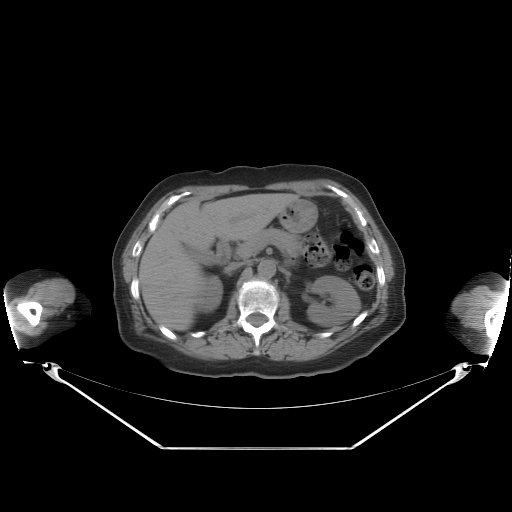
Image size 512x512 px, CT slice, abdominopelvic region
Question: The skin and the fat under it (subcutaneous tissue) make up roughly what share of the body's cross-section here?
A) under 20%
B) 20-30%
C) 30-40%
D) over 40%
Answer: B) 20-30%
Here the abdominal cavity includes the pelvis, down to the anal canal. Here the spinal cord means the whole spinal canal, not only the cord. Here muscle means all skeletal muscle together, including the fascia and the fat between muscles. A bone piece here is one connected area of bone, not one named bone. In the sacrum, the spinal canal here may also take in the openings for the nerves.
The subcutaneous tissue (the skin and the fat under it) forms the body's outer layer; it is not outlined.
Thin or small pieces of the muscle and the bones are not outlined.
{"right_arm":[[[37,267],[55,269],[66,274],[86,292],[91,302],[92,310],[90,318],[87,321],[79,321],[71,329],[58,334],[38,347],[25,349],[21,348],[18,345],[14,330],[15,327],[8,305],[7,287],[4,287],[3,285],[7,280],[14,275],[25,270]]],"bones":[{"outer":[[252,278],[265,280],[275,286],[279,301],[273,317],[277,323],[290,331],[273,328],[264,333],[259,339],[256,349],[258,351],[257,355],[254,354],[256,347],[252,335],[242,328],[230,327],[219,330],[237,320],[240,314],[237,303],[238,289],[244,281]],"hole":[[253,313],[259,313],[260,314],[262,314],[263,315],[264,315],[266,317],[266,318],[267,319],[266,320],[266,321],[265,321],[262,324],[261,324],[259,326],[254,326],[252,324],[251,324],[247,320],[247,317],[249,315],[250,315],[251,314],[252,314]]},[[22,300],[33,300],[34,301],[37,301],[41,304],[42,306],[42,311],[40,315],[40,319],[39,320],[39,322],[37,325],[35,326],[31,326],[28,322],[28,321],[21,314],[19,313],[18,311],[18,309],[16,307],[16,306],[17,304]],[[185,191],[190,191],[191,193],[188,195],[183,196],[177,201],[176,201],[170,207],[166,209],[160,216],[155,229],[152,232],[150,232],[148,230],[148,223],[152,218],[155,212],[161,205],[161,204],[170,196],[172,195],[174,195],[175,194],[179,194]],[[327,184],[332,185],[342,190],[344,192],[345,192],[351,198],[351,199],[361,210],[363,216],[366,219],[366,221],[367,223],[365,226],[363,226],[361,225],[352,207],[340,196],[337,195],[332,190],[327,188],[325,186],[325,185]],[[494,306],[495,306],[495,323],[494,324],[494,329],[493,330],[493,334],[492,335],[492,339],[491,338],[490,338],[488,336],[487,331],[485,329],[485,326],[484,325],[484,315],[485,314],[485,312],[487,310],[490,309],[492,307],[493,307]],[[134,277],[137,277],[137,278],[138,279],[138,289],[139,290],[139,298],[138,299],[135,299],[132,296],[132,295],[131,294],[131,293],[130,292],[130,285],[131,284],[131,282],[132,281],[132,280],[133,279],[133,278]],[[377,265],[380,265],[383,268],[383,271],[384,272],[384,274],[385,275],[385,283],[382,286],[380,286],[378,284],[378,280],[377,279],[377,276],[376,275],[376,266]],[[371,238],[373,238],[376,241],[376,242],[377,243],[377,245],[378,246],[378,247],[379,248],[379,254],[374,254],[372,252],[371,252],[370,251],[370,250],[368,248],[368,247],[367,246],[367,242]],[[159,325],[163,325],[165,327],[166,327],[168,329],[169,329],[172,332],[173,332],[176,335],[176,339],[175,340],[172,340],[171,339],[170,339],[169,338],[168,338],[166,336],[165,336],[161,332],[161,331],[159,329]],[[138,240],[140,240],[141,241],[141,242],[143,244],[143,246],[142,247],[142,249],[141,250],[141,251],[140,252],[139,255],[137,257],[134,257],[133,256],[132,256],[132,255],[131,254],[131,253],[132,252],[132,248],[133,247],[134,244]],[[364,310],[366,310],[367,311],[367,315],[365,317],[365,318],[358,325],[357,325],[356,326],[355,326],[354,327],[352,327],[351,326],[351,324],[352,323],[352,322],[353,321],[353,320],[360,313],[361,313]]],"muscle":[{"outer":[[315,178],[331,179],[353,193],[364,205],[387,243],[394,275],[389,283],[388,314],[383,322],[331,353],[315,359],[275,361],[257,356],[264,334],[273,329],[291,331],[274,317],[279,306],[279,292],[284,293],[289,300],[291,319],[318,332],[314,334],[316,337],[330,337],[333,328],[344,328],[350,324],[352,328],[358,326],[368,315],[367,309],[375,299],[378,285],[382,287],[386,283],[384,268],[376,265],[370,254],[380,254],[378,243],[373,237],[366,241],[352,214],[333,195],[305,195],[290,189],[253,189],[204,199],[189,195],[192,192],[185,190],[170,195],[160,204],[147,223],[150,233],[144,243],[138,239],[133,244],[130,254],[138,257],[137,276],[132,278],[129,292],[135,300],[141,300],[145,313],[158,325],[160,332],[175,341],[177,335],[189,334],[194,338],[204,336],[206,330],[225,316],[230,298],[237,291],[239,314],[234,322],[218,330],[240,328],[251,335],[255,355],[241,359],[202,360],[135,332],[127,284],[122,272],[122,253],[133,231],[163,195],[187,185],[263,186]],"hole":[[327,184],[332,185],[342,190],[344,192],[345,192],[351,198],[351,199],[361,210],[363,216],[366,219],[366,221],[367,223],[365,226],[363,226],[361,225],[352,207],[340,196],[337,195],[332,190],[327,188],[325,186],[325,185]]},{"outer":[[48,278],[63,278],[68,281],[74,288],[75,298],[74,301],[69,304],[63,312],[59,315],[53,316],[49,320],[50,321],[49,325],[42,333],[41,332],[34,335],[31,335],[14,326],[9,310],[8,302],[9,300],[14,297],[25,293],[33,283]],"hole":[[22,300],[33,300],[34,301],[37,301],[41,304],[42,306],[42,311],[40,315],[40,319],[39,320],[39,322],[37,325],[35,326],[31,326],[28,322],[28,321],[21,314],[19,313],[18,311],[18,309],[16,307],[16,306],[17,304]]},[[478,285],[486,285],[491,290],[501,291],[502,292],[502,294],[500,296],[496,304],[487,309],[484,312],[483,315],[483,325],[484,327],[479,331],[474,329],[464,327],[461,324],[460,319],[452,312],[452,306],[457,296],[464,291],[468,291],[470,289]]],"abdominal_cavity":[[[253,190],[333,196],[351,214],[363,234],[377,280],[373,301],[351,323],[316,331],[294,321],[288,296],[273,283],[257,277],[244,280],[232,292],[224,316],[205,330],[176,334],[154,322],[146,313],[140,298],[138,260],[163,213],[186,196],[204,200]]],"torso":[[[281,163],[329,166],[354,176],[367,188],[404,258],[406,318],[401,327],[370,354],[346,368],[292,378],[206,377],[186,374],[165,368],[128,348],[118,334],[113,304],[111,259],[120,232],[145,195],[165,177],[182,171],[220,171],[237,165],[260,167]]],"left_arm":[[[484,271],[495,271],[501,274],[502,278],[504,280],[504,291],[495,305],[495,323],[494,324],[492,339],[490,342],[489,347],[485,354],[475,354],[469,351],[459,341],[449,333],[445,327],[444,319],[448,307],[448,304],[454,293],[468,279],[474,275]]],"spinal_cord":[[[253,313],[259,313],[260,314],[262,314],[263,315],[264,315],[266,317],[266,318],[267,319],[266,320],[266,321],[265,321],[262,324],[261,324],[259,326],[254,326],[252,324],[251,324],[247,320],[247,317],[249,315],[250,315],[251,314],[252,314]]]}